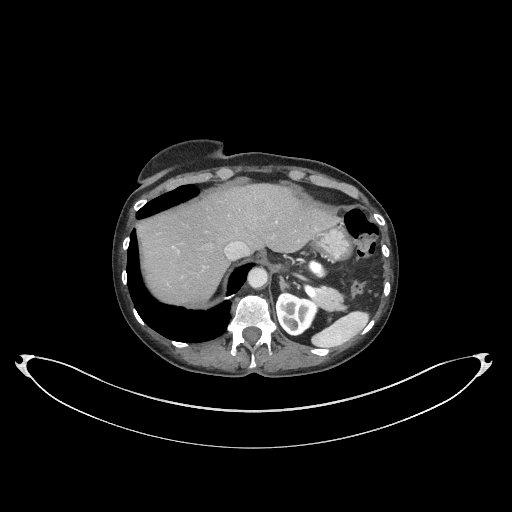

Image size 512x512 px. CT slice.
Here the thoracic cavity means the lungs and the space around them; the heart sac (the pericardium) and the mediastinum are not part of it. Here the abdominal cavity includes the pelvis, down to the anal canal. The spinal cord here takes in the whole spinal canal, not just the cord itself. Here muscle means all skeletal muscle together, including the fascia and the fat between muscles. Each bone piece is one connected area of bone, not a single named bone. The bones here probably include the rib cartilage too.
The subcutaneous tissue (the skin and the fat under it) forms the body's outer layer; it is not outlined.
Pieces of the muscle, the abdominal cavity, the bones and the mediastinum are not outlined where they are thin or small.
thoracic cavity 1: 185 342; 206 341; 225 332; 226 325; 233 312; 233 310; 231 311; 231 301; 226 300; 207 311; 187 310; 156 301; 147 292; 141 280; 135 231; 133 229; 127 250; 126 269; 128 275; 127 285; 134 306; 150 327; 170 339
thoracic cavity 2: 136 218; 145 217; 148 215; 160 211; 162 209; 165 209; 172 205; 184 201; 190 197; 192 197; 198 192; 198 187; 197 185; 196 184; 186 184; 185 185; 182 185; 169 192; 166 192; 148 201; 143 207; 136 212; 136 215; 135 216
thoracic cavity 3: 228 295; 232 295; 239 289; 240 286; 245 279; 245 276; 246 275; 246 273; 247 271; 251 267; 252 265; 250 263; 248 264; 245 264; 242 266; 240 266; 236 268; 231 274; 229 278; 229 280; 228 281; 228 286; 227 287; 227 294
mediastinum 1: 273 320; 267 285; 267 276; 269 269; 264 264; 252 264; 253 265; 248 271; 246 279; 240 289; 235 294; 230 296; 230 299; 232 301; 232 311; 233 309; 234 310; 236 304; 242 296; 249 293; 258 294; 268 301; 269 312
mediastinum 2: 344 205; 359 203; 357 200; 346 194; 332 188; 320 187; 307 182; 292 180; 281 173; 273 172; 268 174; 254 172; 240 173; 233 176; 238 174; 257 175; 267 180; 285 178; 302 184; 309 191; 325 191; 338 199; 341 204
mediastinum 3: 199 190; 202 189; 205 186; 206 186; 209 184; 211 184; 216 181; 219 181; 220 180; 222 180; 221 180; 220 179; 219 180; 216 180; 215 181; 209 181; 208 182; 204 182; 203 183; 196 183; 198 185; 198 186; 199 187
abdominal cavity: 331 348; 362 331; 382 293; 381 234; 361 204; 326 204; 302 185; 285 179; 267 181; 238 175; 209 185; 165 210; 135 218; 140 273; 156 300; 207 310; 229 300; 227 281; 236 267; 264 263; 270 269; 269 297; 281 333; 308 347
muscle 1: 225 371; 248 368; 250 359; 250 352; 243 345; 237 348; 234 356; 230 354; 230 333; 177 348; 146 324; 142 326; 140 325; 137 322; 131 311; 131 309; 133 304; 127 286; 124 286; 122 284; 120 279; 120 272; 121 271; 121 270; 126 266; 126 251; 121 243; 119 247; 119 271; 121 290; 135 321; 142 330; 180 360
muscle 2: 269 372; 325 363; 357 343; 366 334; 358 334; 345 344; 330 349; 327 355; 318 356; 309 351; 311 348; 287 340; 277 327; 272 334; 272 354; 268 354; 265 345; 260 346; 254 352; 256 361; 256 367; 254 368; 261 367; 263 370
muscle 3: 148 200; 165 192; 164 191; 164 186; 171 179; 180 176; 193 175; 207 171; 211 171; 214 173; 216 170; 222 167; 231 168; 235 172; 235 174; 240 172; 261 171; 268 173; 275 171; 276 172; 281 172; 286 175; 289 170; 291 169; 297 169; 305 172; 306 174; 309 174; 310 173; 320 174; 331 180; 336 181; 341 181; 339 181; 338 180; 324 173; 319 172; 313 169; 301 167; 300 166; 293 166; 292 165; 274 165; 273 164; 269 164; 268 165; 231 165; 230 166; 220 166; 219 167; 207 168; 198 171; 192 171; 191 172; 182 173; 171 177; 154 187; 149 191; 144 193; 139 198; 146 198
muscle 4: 391 291; 391 286; 393 281; 393 270; 391 267; 392 253; 391 252; 390 239; 388 234; 388 228; 386 222; 384 226; 380 227; 380 229; 382 234; 382 243; 385 243; 390 249; 390 255; 387 258; 384 257; 384 281; 388 280; 391 283
muscle 5: 374 325; 375 325; 375 324; 380 319; 381 316; 386 309; 386 306; 388 303; 389 297; 390 296; 390 292; 390 294; 387 297; 383 296; 382 294; 382 296; 380 300; 380 303; 376 311; 374 313; 374 315; 372 318; 375 320; 375 324
muscle 6: 372 215; 372 214; 374 212; 379 212; 377 210; 377 209; 375 207; 374 207; 369 202; 367 198; 357 188; 356 188; 358 190; 358 192; 359 193; 359 197; 357 199; 360 202; 360 203; 361 203; 362 205; 363 205; 364 207
muscle 7: 123 238; 126 235; 129 235; 130 231; 133 227; 133 224; 134 223; 134 218; 135 217; 134 216; 135 215; 135 212; 133 210; 132 206; 129 210; 129 213; 128 214; 128 219; 126 223; 126 226; 125 227; 125 231; 124 232
spinal cord: 250 343; 253 343; 260 336; 260 330; 258 328; 257 328; 256 327; 247 327; 246 328; 245 328; 243 330; 243 336; 244 337; 244 338; 248 342; 249 342
bones 1: 249 368; 255 367; 253 352; 260 345; 265 344; 269 354; 271 354; 271 334; 277 326; 270 317; 267 301; 258 295; 252 294; 246 295; 240 299; 226 329; 232 334; 232 355; 235 354; 236 348; 240 344; 243 344; 250 350; 251 359 with a hole at 250 343; 253 343; 260 336; 260 330; 258 328; 257 328; 256 327; 247 327; 246 328; 245 328; 243 330; 243 336; 244 337; 244 338; 248 342; 249 342
bones 2: 355 199; 358 197; 357 190; 352 186; 350 186; 343 182; 331 181; 320 175; 315 175; 314 174; 306 175; 305 173; 297 170; 291 170; 287 174; 290 178; 296 180; 300 180; 306 176; 308 181; 312 184; 320 186; 332 187; 338 189
bones 3: 165 191; 169 191; 179 185; 186 183; 195 183; 197 181; 208 181; 214 175; 221 179; 225 179; 231 177; 234 174; 234 172; 231 169; 222 168; 216 171; 214 174; 211 172; 207 172; 193 176; 180 177; 171 180; 165 186
bones 4: 380 226; 381 226; 382 225; 384 225; 384 224; 385 223; 385 220; 384 219; 384 218; 383 217; 383 216; 381 214; 380 214; 379 213; 374 213; 373 214; 373 217; 374 218; 374 219; 375 220; 375 221
bones 5: 135 211; 137 211; 142 206; 143 206; 144 205; 144 204; 145 203; 146 203; 147 202; 147 200; 146 199; 138 199; 134 203; 134 204; 133 205; 133 208; 134 209; 134 210
bones 6: 142 325; 145 325; 145 323; 143 321; 143 320; 139 316; 139 315; 137 313; 137 312; 136 311; 135 308; 134 307; 133 307; 133 308; 132 309; 132 311; 134 314; 134 316; 136 318; 136 319; 138 321; 138 322; 140 324; 141 324
bones 7: 361 334; 364 334; 365 333; 366 333; 373 326; 373 325; 374 324; 374 320; 373 319; 370 319; 370 320; 369 321; 369 322; 368 323; 368 324; 366 326; 366 327; 363 330; 363 331; 361 333; 360 333
torso: 225 377; 311 374; 338 366; 364 350; 383 329; 395 302; 398 244; 393 223; 382 204; 359 180; 334 165; 267 152; 226 154; 222 140; 187 139; 159 150; 140 170; 138 186; 124 202; 115 226; 112 281; 125 321; 148 348; 178 368
pericardium: 332 204; 340 204; 340 203; 338 200; 335 199; 332 196; 331 196; 329 194; 328 194; 325 192; 310 192; 311 193; 311 194; 315 198; 316 198; 317 199; 318 199; 319 200; 320 200; 323 202; 325 202; 326 203; 331 203